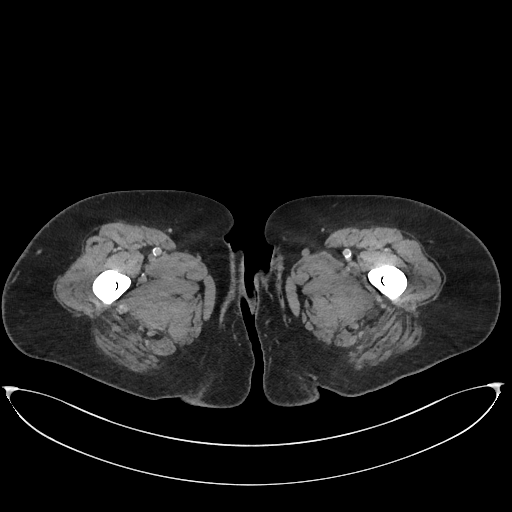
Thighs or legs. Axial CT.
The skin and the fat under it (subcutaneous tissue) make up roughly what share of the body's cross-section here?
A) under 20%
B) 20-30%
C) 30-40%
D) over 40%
Answer: D) over 40%
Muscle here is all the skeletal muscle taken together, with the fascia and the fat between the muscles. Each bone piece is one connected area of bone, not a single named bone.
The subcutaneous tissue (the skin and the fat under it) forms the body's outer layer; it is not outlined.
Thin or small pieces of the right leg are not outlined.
The right leg is outlined by 135,189 198,193 220,202 232,214 234,223 225,239 234,250 243,251 249,307 244,298 240,307 255,358 249,392 235,407 213,408 176,397 134,395 57,363 30,357 6,334 1,315 3,287 38,230 78,200. The left leg is outlined by 324,194 410,198 449,214 470,229 489,250 500,279 499,315 488,337 472,349 358,396 343,396 320,387 319,398 303,405 287,407 268,401 249,297 255,273 269,267 272,246 264,237 264,225 281,204. The muscle appears in 2 outlined pieces: piece 1: 118,219 165,230 174,240 179,250 183,250 205,263 216,286 213,311 203,326 198,339 183,354 152,374 133,372 106,357 94,343 90,320 82,316 74,316 63,308 53,296 54,280 81,253 85,235 96,226, around a hole outlined by 107,269 115,269 119,272 127,275 130,278 131,280 131,283 130,284 130,286 117,299 113,301 110,304 105,304 103,303 102,301 100,300 94,294 92,290 92,283 94,279 96,277 96,276 104,270 106,270; piece 2: 357,224 393,226 412,233 446,275 444,285 438,297 420,308 417,319 423,333 419,343 405,353 363,371 354,370 339,354 324,348 304,332 288,306 284,287 286,277 290,273 292,265 299,258 319,250 330,232; inner edge: 386,263 392,264 399,268 405,274 407,278 407,285 406,286 406,288 404,291 394,301 392,301 388,297 381,293 371,283 370,283 367,277 367,273 371,268 374,266 377,266 378,265 380,265 381,264 385,264. The bones appear in 2 outlined pieces: piece 1: 386,263 392,264 399,268 405,274 407,278 407,285 406,286 406,288 404,291 394,301 392,301 388,297 381,293 371,283 370,283 367,277 367,273 371,268 374,266 377,266 378,265 380,265 381,264 385,264; piece 2: 107,269 115,269 119,272 127,275 130,278 131,280 131,283 130,284 130,286 117,299 113,301 110,304 105,304 103,303 102,301 100,300 94,294 92,290 92,283 94,279 96,277 96,276 104,270 106,270.